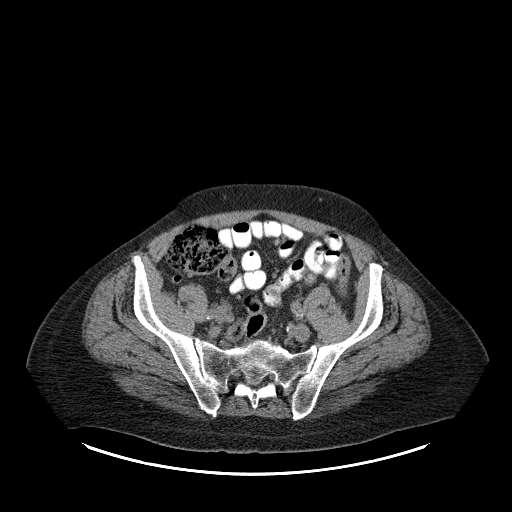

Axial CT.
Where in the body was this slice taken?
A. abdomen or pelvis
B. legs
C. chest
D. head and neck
Answer: A. abdomen or pelvis
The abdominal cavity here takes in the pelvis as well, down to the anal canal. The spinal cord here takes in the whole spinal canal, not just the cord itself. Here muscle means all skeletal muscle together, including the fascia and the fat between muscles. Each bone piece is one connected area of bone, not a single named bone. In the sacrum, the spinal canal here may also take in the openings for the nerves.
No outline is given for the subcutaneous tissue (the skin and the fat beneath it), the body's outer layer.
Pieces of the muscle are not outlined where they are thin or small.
Outlines (x, y in pixels):
torso: [[236,182],[289,183],[321,187],[352,199],[371,213],[395,244],[468,320],[486,348],[488,361],[453,417],[395,431],[360,444],[289,453],[188,451],[97,427],[68,429],[45,399],[25,363],[33,336],[49,309],[90,266],[153,223],[184,196],[208,186]]
spinal cord 1: [[248,383],[249,383],[250,384],[260,384],[261,383],[263,383],[263,384],[261,386],[260,386],[259,387],[258,387],[257,388],[253,388],[252,387],[251,387],[249,385],[248,385]]
spinal cord 2: [[236,372],[237,372],[238,372],[239,372],[240,373],[241,373],[241,374],[241,375],[241,376],[241,377],[240,378],[240,379],[239,379],[238,379],[237,378],[236,378],[235,377],[234,377],[234,376],[234,375],[234,374],[235,373]]
spinal cord 3: [[268,375],[269,375],[270,375],[271,375],[272,375],[273,375],[273,376],[273,377],[273,378],[273,379],[272,380],[271,380],[270,380],[269,379],[268,379],[268,378],[268,377],[268,376]]
muscle 1: [[262,208],[333,225],[370,244],[391,272],[423,301],[431,331],[426,351],[391,372],[358,402],[317,418],[302,419],[314,409],[340,356],[380,325],[384,314],[383,266],[376,261],[368,264],[365,306],[356,328],[339,341],[318,344],[318,333],[304,313],[304,301],[312,290],[326,286],[345,316],[349,320],[354,316],[361,271],[339,232],[307,231],[265,213],[223,226],[192,222],[173,235],[155,267],[165,291],[174,294],[182,286],[196,284],[205,292],[206,311],[194,323],[192,335],[171,329],[157,314],[140,254],[130,258],[134,268],[132,311],[165,343],[198,407],[213,418],[180,414],[128,394],[90,355],[81,335],[86,305],[98,282],[129,253],[175,225],[204,215]]
muscle 2: [[230,392],[237,397],[246,397],[253,409],[255,409],[258,406],[259,401],[261,399],[275,398],[278,394],[280,394],[290,407],[291,419],[289,418],[268,418],[257,415],[246,416],[231,416],[222,414],[218,415],[217,412],[221,405],[222,400],[225,395]]
abdominal cavity: [[260,214],[307,232],[339,233],[360,271],[350,319],[326,285],[307,295],[303,313],[317,338],[303,350],[291,352],[264,338],[222,348],[193,335],[195,323],[207,311],[206,292],[196,283],[182,285],[174,293],[165,290],[156,267],[184,226],[223,227]]
bones: [[134,255],[141,256],[161,321],[222,349],[264,339],[294,353],[345,339],[364,314],[371,262],[383,268],[383,314],[370,334],[339,356],[303,418],[292,419],[280,393],[261,398],[253,408],[246,396],[231,391],[213,417],[199,407],[166,343],[134,314]] with holes at [[248,383],[249,383],[250,384],[260,384],[261,383],[263,383],[263,384],[261,386],[260,386],[259,387],[258,387],[257,388],[253,388],[252,387],[251,387],[249,385],[248,385]] and at [[236,372],[237,372],[238,372],[239,372],[240,373],[241,373],[241,374],[241,375],[241,376],[241,377],[240,378],[240,379],[239,379],[238,379],[237,378],[236,378],[235,377],[234,377],[234,376],[234,375],[234,374],[235,373]]